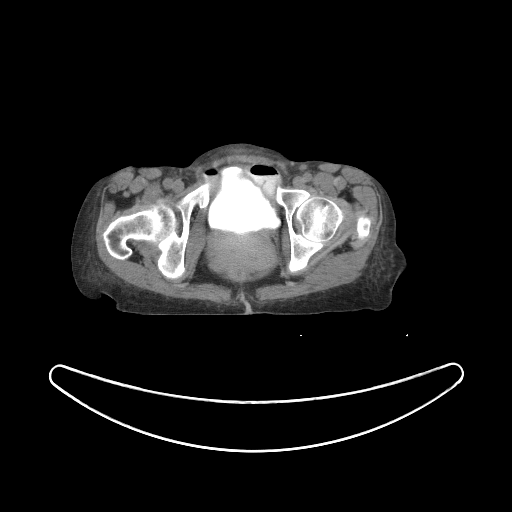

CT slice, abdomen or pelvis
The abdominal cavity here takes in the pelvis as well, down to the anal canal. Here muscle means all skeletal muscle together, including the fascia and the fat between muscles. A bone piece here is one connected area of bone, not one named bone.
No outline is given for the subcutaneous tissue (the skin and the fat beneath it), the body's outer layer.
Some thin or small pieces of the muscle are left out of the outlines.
{"torso":[[[234,142],[274,148],[298,161],[315,159],[350,164],[381,183],[394,209],[396,243],[407,260],[388,307],[313,315],[140,315],[116,309],[114,301],[106,295],[91,300],[78,290],[70,263],[72,232],[79,208],[99,178],[129,165],[186,166],[204,151]]],"abdominal_cavity":[[[237,162],[277,164],[284,173],[281,185],[279,183],[276,185],[275,192],[275,201],[281,207],[284,216],[279,238],[279,266],[253,285],[234,284],[216,279],[209,273],[201,260],[206,239],[204,209],[209,202],[210,189],[202,178],[202,172],[205,168]]],"bones":[[[204,181],[209,188],[208,202],[204,208],[196,205],[192,210],[184,252],[185,271],[181,276],[167,278],[161,273],[157,266],[160,250],[146,240],[130,240],[128,243],[132,254],[125,259],[110,255],[102,233],[111,221],[145,209],[159,200],[171,207]],[[278,184],[282,187],[304,189],[313,195],[327,197],[332,200],[342,210],[344,214],[344,218],[333,237],[322,248],[310,257],[308,264],[305,268],[294,272],[290,272],[287,269],[287,265],[290,260],[291,247],[288,227],[285,219],[285,211],[276,201]],[[360,215],[364,215],[365,216],[368,216],[371,219],[371,226],[370,227],[370,234],[369,235],[369,236],[365,240],[359,240],[358,239],[357,239],[357,238],[356,237],[356,219],[357,218],[357,217],[358,216],[359,216]]],"muscle":[{"outer":[[234,154],[264,155],[269,157],[279,158],[286,162],[292,168],[299,166],[306,166],[311,169],[314,169],[320,164],[331,164],[340,167],[350,167],[365,174],[373,182],[380,195],[381,204],[382,205],[381,206],[382,220],[380,224],[380,232],[377,241],[368,257],[367,266],[363,271],[363,273],[355,281],[348,284],[340,285],[336,287],[327,289],[324,291],[314,292],[307,295],[303,295],[299,297],[295,297],[286,300],[255,302],[248,296],[243,295],[241,297],[239,297],[236,299],[233,302],[229,303],[217,303],[212,301],[204,301],[197,299],[183,299],[182,298],[166,297],[164,295],[158,293],[155,293],[148,290],[139,289],[132,285],[128,285],[121,279],[117,277],[100,259],[97,252],[97,247],[95,241],[95,226],[99,212],[100,193],[103,188],[108,183],[109,179],[112,176],[121,171],[132,170],[137,168],[141,168],[142,169],[154,168],[161,170],[162,173],[165,175],[174,176],[175,177],[182,177],[191,172],[192,168],[197,164],[205,163],[208,161],[210,161],[213,158],[220,158]],"holes":[[[237,162],[277,164],[284,173],[282,187],[327,197],[342,210],[344,218],[335,234],[305,268],[287,269],[291,247],[284,218],[279,266],[264,278],[253,285],[234,284],[210,274],[219,283],[189,284],[198,262],[206,269],[201,260],[204,209],[197,205],[190,216],[181,276],[167,278],[161,273],[160,250],[149,241],[130,240],[132,254],[125,259],[107,251],[102,233],[111,221],[159,200],[171,207],[204,181],[205,168]],[[360,215],[364,215],[365,216],[368,216],[371,219],[371,226],[370,227],[370,234],[369,235],[369,236],[365,240],[359,240],[358,239],[357,239],[357,238],[356,237],[356,219],[357,218],[357,217],[358,216],[359,216]],[[279,273],[280,273],[282,276],[282,280],[281,281],[279,281],[278,282],[272,282],[271,283],[268,283],[267,284],[261,284],[262,283],[262,282],[263,282],[266,280],[268,280],[269,279],[272,278],[274,276],[275,276],[277,274],[278,274]]]}]}